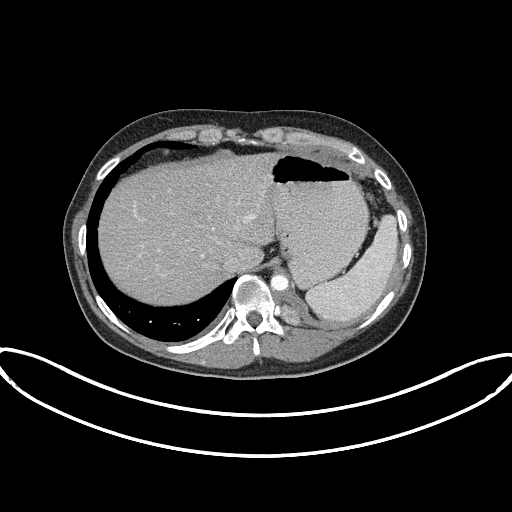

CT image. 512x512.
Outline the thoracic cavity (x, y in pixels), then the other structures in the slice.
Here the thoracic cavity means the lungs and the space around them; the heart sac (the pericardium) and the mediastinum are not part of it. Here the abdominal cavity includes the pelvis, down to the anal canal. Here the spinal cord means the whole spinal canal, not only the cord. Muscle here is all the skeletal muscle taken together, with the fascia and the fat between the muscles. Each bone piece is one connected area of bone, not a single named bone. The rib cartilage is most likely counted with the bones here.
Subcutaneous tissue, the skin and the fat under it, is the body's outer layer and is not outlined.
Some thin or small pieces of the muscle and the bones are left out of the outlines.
The thoracic cavity appears in 2 outlined pieces: piece 1: 170 343; 195 339; 214 327; 230 305; 236 278; 185 306; 148 306; 115 288; 101 265; 96 242; 102 204; 119 175; 146 151; 191 146; 182 141; 165 140; 141 147; 122 160; 102 181; 87 220; 86 249; 94 285; 116 315; 135 331; piece 2: 293 327; 310 327; 307 326; 303 322; 301 318; 301 316; 300 315; 299 307; 298 305; 291 298; 291 297; 289 295; 289 292; 288 292; 287 295; 285 297; 284 297; 283 299; 283 303; 281 305; 281 317; 286 323; 289 323; 290 325. The mediastinum appears in 2 outlined pieces: piece 1: 119 177; 124 175; 125 173; 129 171; 135 170; 151 163; 164 161; 168 159; 199 155; 213 151; 215 149; 215 147; 210 144; 190 144; 192 146; 190 148; 184 150; 169 150; 168 149; 152 150; 143 154; 137 162; 130 166; piece 2: 280 303; 282 303; 282 299; 283 297; 285 296; 287 292; 289 291; 288 278; 286 274; 283 271; 279 269; 275 269; 274 268; 268 268; 267 269; 261 270; 260 271; 253 273; 257 274; 266 282; 266 283; 270 288; 271 292; 274 298. The spinal cord is outlined by 253 326; 255 326; 256 325; 257 325; 261 321; 261 316; 260 315; 260 314; 259 313; 258 313; 257 312; 256 312; 255 311; 252 311; 251 312; 250 312; 247 315; 247 320; 248 321; 248 322; 251 325; 252 325. The muscle appears in 3 outlined pieces: piece 1: 226 369; 238 368; 262 357; 272 357; 286 362; 310 361; 362 333; 380 320; 397 303; 408 286; 412 274; 412 266; 414 263; 413 218; 408 205; 397 191; 396 186; 389 176; 393 188; 388 191; 395 201; 397 208; 401 208; 406 213; 408 219; 408 227; 406 231; 402 233; 403 244; 408 241; 413 246; 413 254; 408 266; 405 269; 402 269; 401 266; 397 284; 392 289; 395 291; 395 296; 390 304; 374 321; 359 330; 355 330; 355 327; 339 331; 293 328; 289 324; 281 321; 288 327; 285 336; 281 337; 269 332; 260 335; 260 354; 258 356; 252 352; 251 334; 247 332; 241 333; 230 345; 226 345; 219 340; 193 352; 172 354; 167 352; 164 346; 167 344; 177 344; 155 341; 131 329; 129 334; 126 333; 103 314; 93 297; 96 290; 89 274; 87 258; 79 254; 77 245; 78 228; 83 222; 86 222; 91 202; 101 182; 97 181; 94 177; 88 196; 76 213; 71 228; 74 265; 83 294; 93 312; 120 336; 153 354; 181 362; piece 2: 122 159; 125 158; 138 148; 147 143; 156 140; 164 140; 165 137; 172 132; 180 131; 185 129; 194 129; 198 131; 203 128; 208 128; 209 127; 218 127; 223 130; 227 128; 231 128; 234 129; 240 135; 257 138; 260 141; 261 144; 263 143; 271 143; 272 144; 283 146; 284 145; 292 146; 301 146; 309 148; 315 151; 329 153; 332 155; 337 155; 340 157; 349 159; 344 154; 327 146; 296 146; 295 145; 283 145; 282 144; 281 144; 274 144; 273 143; 265 142; 261 140; 258 135; 259 131; 265 128; 249 131; 248 130; 244 130; 239 127; 226 127; 217 124; 195 124; 194 125; 174 127; 163 130; 148 137; 143 138; 116 153; 114 155; 119 154; piece 3: 388 175; 387 172; 380 165; 372 159; 358 146; 349 141; 337 137; 328 136; 324 134; 317 133; 308 129; 304 129; 298 127; 292 127; 291 126; 274 126; 280 127; 286 131; 301 131; 302 132; 311 133; 328 140; 338 140; 341 142; 345 142; 350 145; 354 145; 362 152; 366 159; 366 163; 364 165; 361 165; 363 165; 369 168; 371 170; 373 170; 373 169; 377 166; 381 168. The torso is outlined by 227 379; 300 377; 351 362; 387 341; 414 304; 427 254; 426 221; 420 200; 399 162; 371 134; 347 119; 305 109; 176 108; 154 112; 123 126; 99 148; 72 196; 62 227; 64 258; 75 297; 94 332; 112 348; 142 362; 182 373. The abdominal cavity is outlined by 330 330; 363 321; 398 278; 403 245; 396 205; 369 169; 301 147; 226 141; 214 145; 216 149; 210 153; 129 172; 113 186; 100 214; 97 242; 102 265; 122 293; 156 307; 185 305; 232 277; 274 267; 287 274; 290 295; 304 322. The bones appear in 9 outlined pieces: piece 1: 256 355; 259 354; 260 334; 269 331; 284 336; 287 327; 280 322; 281 304; 255 274; 243 274; 237 278; 231 293; 231 305; 214 328; 195 340; 165 346; 169 352; 185 353; 219 339; 230 344; 241 332; 247 331; 252 334; 253 352 with a hole at 253 326; 255 326; 256 325; 257 325; 261 321; 261 316; 260 315; 260 314; 259 313; 258 313; 257 312; 256 312; 255 311; 252 311; 251 312; 250 312; 247 315; 247 320; 248 321; 248 322; 251 325; 252 325; piece 2: 359 164; 365 163; 365 159; 361 152; 356 147; 350 146; 345 143; 341 143; 338 141; 328 141; 314 135; 301 132; 286 132; 277 127; 266 128; 260 131; 259 134; 261 139; 274 143; 295 144; 296 145; 327 145; 344 153; 351 160; piece 3: 253 145; 260 144; 257 139; 240 136; 231 129; 223 131; 218 128; 209 128; 203 129; 198 132; 194 130; 185 130; 172 133; 166 137; 166 139; 168 140; 187 140; 195 138; 201 142; 207 142; 211 144; 233 138; 238 143; piece 4: 355 329; 359 329; 369 324; 373 320; 374 320; 389 304; 389 303; 391 301; 391 300; 394 296; 394 291; 393 290; 391 290; 381 300; 381 301; 377 305; 374 311; 369 316; 368 316; 363 322; 359 324; 356 327; piece 5: 129 333; 130 332; 130 329; 115 315; 115 314; 105 303; 105 302; 102 299; 102 298; 96 292; 94 294; 94 297; 96 300; 97 304; 102 310; 104 314; 112 322; 113 322; 116 325; 117 325; 120 328; 121 328; 126 332; 128 332; piece 6: 99 181; 101 181; 105 177; 105 176; 121 160; 121 158; 119 155; 116 155; 115 156; 114 156; 113 157; 112 157; 111 158; 110 158; 98 170; 98 171; 96 174; 96 176; 95 177; 95 178; 97 180; 98 180; piece 7: 82 256; 85 256; 86 255; 86 250; 85 249; 86 248; 85 247; 85 239; 86 238; 86 223; 83 223; 80 226; 80 227; 79 228; 79 231; 78 232; 78 245; 79 246; 79 249; 80 250; 80 254; piece 8: 387 190; 389 190; 392 188; 392 186; 391 185; 391 183; 390 182; 390 180; 389 179; 388 176; 381 169; 376 167; 374 169; 374 170; 373 171; 375 173; 375 174; 377 177; 377 181; 380 184; 380 185; 382 187; 385 188; piece 9: 402 268; 405 268; 407 266; 407 265; 409 262; 409 260; 410 259; 410 257; 412 254; 412 246; 410 244; 410 243; 409 243; 408 242; 407 242; 404 244; 404 245; 403 246; 403 249; 402 250; 402 256; 401 257; 401 260; 402 261.